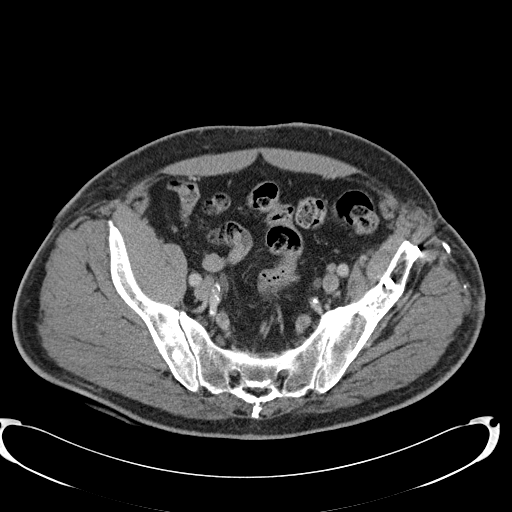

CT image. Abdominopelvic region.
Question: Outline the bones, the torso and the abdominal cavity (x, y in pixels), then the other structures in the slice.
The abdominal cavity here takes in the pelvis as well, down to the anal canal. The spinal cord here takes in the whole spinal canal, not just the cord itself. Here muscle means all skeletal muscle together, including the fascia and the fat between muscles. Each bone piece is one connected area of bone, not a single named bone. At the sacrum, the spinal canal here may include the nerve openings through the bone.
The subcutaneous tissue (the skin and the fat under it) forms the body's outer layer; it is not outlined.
Answer: bones: 109,219 122,235 145,294 183,310 218,346 255,356 298,346 324,312 359,299 379,281 404,240 417,244 421,255 400,297 332,387 261,402 256,419 253,405 234,394 204,387 193,392 174,377 146,324 112,282; inner edge: 245,388 248,388 249,389 254,389 255,388 258,388 259,389 268,389 269,390 269,391 268,392 267,392 264,394 261,394 260,395 256,395 253,393 251,393 250,392 249,392 248,391 245,390 244,389
torso: 286,122 346,130 393,153 421,180 474,254 485,289 485,319 470,353 443,384 409,405 357,424 244,440 129,424 92,408 87,403 93,401 50,383 26,364 12,333 16,292 52,221 84,184 125,154 173,132
abdominal cavity: 258,155 282,170 363,181 379,196 390,229 375,248 367,249 349,265 341,305 324,311 298,345 276,355 222,347 197,319 180,308 186,288 186,256 177,243 158,236 144,217 149,191 157,180 168,175 237,172
spinal cord 1: 245,388 248,388 249,389 254,389 255,388 258,388 259,389 268,389 269,390 269,391 268,392 267,392 264,394 261,394 260,395 256,395 253,393 251,393 250,392 249,392 248,391 245,390 244,389
spinal cord 2: 234,373 235,373 236,374 237,375 237,376 236,377 235,378 234,378 233,377 232,376 232,375 233,374
spinal cord 3: 281,373 282,373 283,374 284,375 284,376 283,377 282,378 281,378 280,377 279,376 279,375 280,374
muscle: 253,147 308,151 351,164 377,177 436,221 464,257 472,283 471,311 436,364 407,385 358,404 321,413 257,419 261,403 298,398 310,390 324,394 332,388 401,297 411,269 422,255 417,243 404,239 378,281 359,298 342,304 350,265 367,250 375,249 391,230 380,196 363,180 282,169 258,154 237,171 168,174 151,185 143,217 165,243 181,248 187,262 180,309 143,291 122,233 110,218 106,221 111,282 145,324 173,377 193,393 204,388 214,395 234,395 252,405 251,418 175,415 100,388 58,366 37,338 35,318 45,263 60,231 102,198 170,163